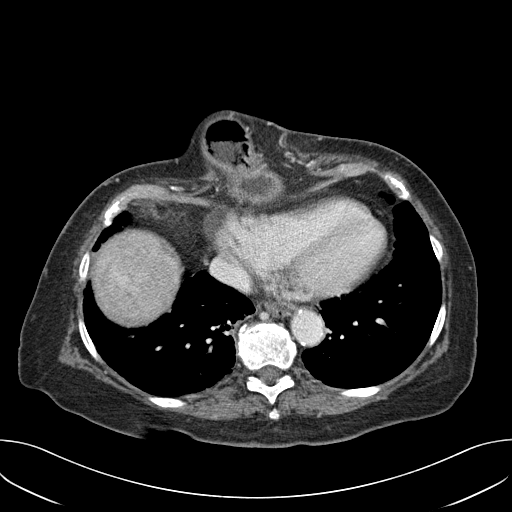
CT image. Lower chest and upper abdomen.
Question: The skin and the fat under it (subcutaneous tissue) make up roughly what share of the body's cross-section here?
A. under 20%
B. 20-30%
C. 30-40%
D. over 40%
Answer: B. 20-30%
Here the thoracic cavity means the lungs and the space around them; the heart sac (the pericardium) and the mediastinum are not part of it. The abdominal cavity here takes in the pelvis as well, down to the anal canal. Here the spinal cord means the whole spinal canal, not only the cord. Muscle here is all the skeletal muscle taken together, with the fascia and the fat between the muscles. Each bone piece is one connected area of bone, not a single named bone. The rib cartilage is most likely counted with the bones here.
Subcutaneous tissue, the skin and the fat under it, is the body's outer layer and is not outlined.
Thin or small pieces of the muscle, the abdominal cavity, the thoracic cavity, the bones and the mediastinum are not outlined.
bones 1: [[258,322],[281,324],[288,331],[297,349],[295,360],[287,371],[292,377],[294,385],[281,391],[273,405],[279,414],[277,419],[269,417],[273,406],[268,399],[259,392],[247,389],[246,380],[250,372],[236,356],[235,340],[239,328],[245,323],[253,325]]; inner edge: [[267,365],[271,365],[272,366],[275,366],[277,367],[281,371],[281,374],[280,376],[278,377],[275,380],[274,383],[272,384],[267,384],[265,382],[264,382],[258,376],[257,374],[257,372],[262,367],[264,366],[266,366]]
bones 2: [[134,184],[151,184],[164,188],[167,188],[169,185],[175,185],[181,186],[184,189],[180,191],[167,190],[158,197],[155,197],[152,199],[135,198],[127,205],[125,209],[122,210],[113,219],[110,225],[103,227],[104,213],[111,204],[113,198],[117,194]]
bones 3: [[351,162],[362,162],[373,167],[378,171],[390,172],[400,180],[409,191],[411,195],[411,201],[410,202],[398,198],[376,171],[367,171],[364,174],[351,177],[334,177],[331,175],[321,175],[311,173],[312,171],[319,173],[326,169],[333,168],[339,164]]
bones 4: [[378,384],[381,384],[381,388],[380,390],[376,393],[366,397],[359,397],[358,396],[347,397],[341,395],[337,390],[333,390],[330,388],[330,387],[336,387],[337,388],[342,388],[343,389],[362,388],[363,387],[367,387],[368,386],[377,385]]
bones 5: [[79,317],[83,319],[83,321],[84,322],[85,327],[87,330],[87,332],[92,342],[94,344],[97,352],[103,360],[103,362],[99,362],[95,360],[92,357],[92,356],[89,353],[89,352],[85,347],[79,333],[79,329],[78,328],[78,318]]
bones 6: [[442,302],[444,302],[446,306],[445,318],[444,319],[443,326],[441,329],[441,331],[439,335],[437,337],[434,343],[429,347],[425,347],[425,345],[429,339],[430,334],[432,331],[433,326],[435,323],[435,321],[436,320],[436,318],[437,317],[437,315]]
bones 7: [[149,395],[153,395],[154,396],[159,396],[160,397],[171,397],[172,398],[179,398],[182,400],[184,400],[186,402],[186,403],[183,406],[181,406],[180,407],[162,407],[161,406],[160,406],[159,405],[157,405],[153,402],[150,401],[147,397]]
bones 8: [[86,251],[89,251],[89,252],[90,253],[90,257],[89,258],[89,266],[88,267],[88,271],[87,272],[86,281],[85,282],[85,283],[84,283],[83,282],[80,282],[80,281],[79,280],[79,265],[80,264],[80,262],[81,261],[82,256]]
bones 9: [[429,233],[432,234],[440,242],[440,243],[441,244],[441,247],[442,248],[442,259],[441,260],[441,263],[440,264],[439,264],[439,263],[436,258],[436,256],[433,251],[433,249],[432,248],[432,246],[431,245],[431,242],[430,241],[430,239],[429,238]]
muscle 1: [[314,151],[362,155],[397,172],[406,180],[438,226],[449,257],[452,305],[449,345],[435,362],[391,392],[387,398],[351,411],[321,417],[288,415],[278,420],[253,421],[245,417],[203,419],[153,408],[86,370],[58,361],[69,322],[73,260],[88,229],[108,200],[119,192],[103,213],[103,228],[92,246],[91,254],[86,250],[78,265],[78,280],[85,284],[83,318],[77,318],[77,328],[84,347],[95,361],[105,362],[130,384],[149,394],[146,397],[150,402],[162,408],[183,407],[187,402],[179,397],[187,395],[188,399],[190,394],[216,385],[231,375],[238,363],[249,372],[245,380],[246,389],[263,395],[272,406],[268,412],[272,420],[280,417],[274,406],[278,395],[295,385],[288,371],[295,361],[299,360],[310,375],[341,396],[366,398],[379,392],[382,383],[402,372],[424,348],[431,347],[442,331],[447,311],[446,303],[442,301],[442,244],[428,231],[412,205],[410,191],[390,171],[378,170],[362,161],[351,161],[319,172],[309,172],[307,170],[313,170],[317,161],[314,158],[303,161],[300,154]]
muscle 2: [[202,174],[205,174],[206,178],[217,180],[225,186],[221,196],[214,198],[212,201],[197,197],[187,202],[160,203],[153,199],[167,191],[180,192],[185,189],[183,186],[175,184],[164,187],[151,183],[150,183],[149,183],[134,183],[124,189],[133,183],[139,182],[141,179],[151,177],[190,178]]
pericardium: [[324,190],[347,190],[368,198],[371,197],[391,216],[393,240],[387,264],[379,268],[359,288],[347,294],[324,299],[314,305],[301,306],[258,293],[246,273],[230,255],[208,249],[202,240],[200,221],[204,213],[214,206],[225,205],[257,210],[304,194]]
mediastinum 1: [[217,198],[237,206],[214,205],[203,213],[199,233],[205,247],[230,256],[258,294],[301,307],[321,302],[325,335],[317,345],[299,355],[289,331],[274,321],[245,322],[237,331],[254,311],[251,301],[206,270],[191,274],[188,252],[158,218],[159,204]]
mediastinum 2: [[365,174],[372,175],[379,178],[388,186],[389,189],[395,196],[398,199],[401,200],[392,209],[393,231],[391,214],[384,206],[371,196],[368,197],[361,193],[347,189],[324,189],[323,190],[318,190],[321,190],[322,189],[322,188],[327,186],[328,184],[335,182],[338,178],[351,178]], around a hole outlined by [[387,194],[392,194],[394,196],[394,200],[392,202],[389,202],[388,201],[387,201],[387,200],[385,198],[385,195],[386,195]]
torso: [[221,109],[253,114],[292,130],[383,144],[433,180],[464,231],[478,289],[473,375],[450,408],[335,443],[236,447],[174,431],[154,432],[150,438],[120,433],[64,410],[20,383],[17,350],[24,316],[52,245],[72,212],[112,174],[180,155],[197,124]]
spinal cord: [[267,365],[271,365],[272,366],[275,366],[277,367],[281,371],[281,374],[280,376],[278,377],[275,380],[274,383],[272,384],[267,384],[265,382],[264,382],[258,376],[257,374],[257,372],[262,367],[264,366],[266,366]]
thoracic cavity 1: [[401,201],[409,202],[423,222],[439,265],[441,302],[428,339],[409,365],[381,383],[349,388],[330,386],[316,379],[296,358],[304,350],[317,346],[326,335],[326,324],[321,314],[321,303],[333,298],[341,298],[358,290],[388,264],[396,240],[393,209]]
thoracic cavity 2: [[198,271],[206,271],[237,290],[253,306],[253,311],[235,325],[235,356],[239,362],[231,374],[201,391],[178,397],[150,394],[120,375],[98,352],[84,321],[86,282],[90,283],[101,313],[114,324],[131,329],[145,327],[169,313],[186,272],[193,275]]
thoracic cavity 3: [[124,210],[128,210],[129,211],[130,213],[130,216],[131,217],[131,221],[129,223],[124,225],[121,228],[121,229],[118,231],[116,231],[110,235],[100,244],[97,250],[95,251],[92,251],[93,246],[103,229],[110,226],[112,224],[114,219],[122,211]]
abdominal cavity 1: [[221,109],[253,114],[288,128],[289,135],[301,151],[300,159],[296,161],[311,174],[331,176],[337,179],[317,191],[302,193],[285,201],[257,209],[238,207],[222,199],[220,197],[226,186],[217,179],[206,177],[196,156],[186,149],[197,124],[206,115]]
abdominal cavity 2: [[141,199],[159,203],[157,218],[160,224],[178,238],[187,252],[192,268],[190,273],[186,271],[183,275],[169,312],[145,326],[128,328],[114,323],[102,313],[94,300],[87,277],[92,252],[129,224],[134,214],[140,213],[137,207],[127,207],[132,201]]